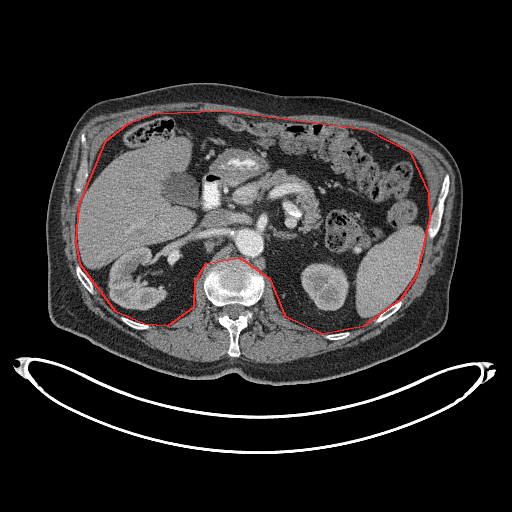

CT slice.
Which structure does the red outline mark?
red: abdominal cavity.
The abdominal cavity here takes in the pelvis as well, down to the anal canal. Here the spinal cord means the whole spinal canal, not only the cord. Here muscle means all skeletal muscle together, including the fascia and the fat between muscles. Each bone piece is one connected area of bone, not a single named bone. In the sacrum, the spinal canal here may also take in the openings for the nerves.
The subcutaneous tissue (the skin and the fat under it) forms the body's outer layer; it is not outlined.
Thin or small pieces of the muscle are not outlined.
{"abdominal_cavity":[[[322,333],[364,325],[401,298],[417,274],[430,218],[429,193],[411,153],[367,130],[223,111],[154,114],[127,124],[104,142],[78,205],[75,241],[79,263],[114,310],[144,323],[168,325],[194,306],[195,280],[206,263],[239,257],[269,278],[284,315]]],"spinal_cord":[[[231,318],[236,318],[239,315],[241,314],[243,314],[245,310],[245,307],[239,304],[230,304],[229,305],[226,305],[224,306],[222,308],[222,313],[223,314],[226,314],[228,315]]],"bones":[{"outer":[[233,357],[239,356],[238,336],[239,333],[247,326],[248,321],[252,317],[251,307],[260,299],[263,293],[264,279],[249,262],[239,258],[226,258],[210,267],[205,276],[203,288],[206,297],[217,308],[216,318],[218,322],[229,332],[230,344],[227,353]],"hole":[[231,318],[236,318],[239,315],[241,314],[243,314],[245,310],[245,307],[239,304],[230,304],[229,305],[226,305],[224,306],[222,308],[222,313],[223,314],[226,314],[228,315]]},[[431,239],[437,234],[441,225],[441,218],[443,213],[443,204],[449,189],[449,176],[448,174],[446,174],[444,176],[442,185],[441,186],[441,189],[440,190],[440,193],[437,200],[437,203],[434,208],[434,211],[428,224],[427,233],[428,234],[428,237]],[[76,193],[81,193],[82,192],[85,181],[87,179],[87,177],[88,176],[88,170],[87,169],[87,157],[86,156],[86,138],[84,133],[82,133],[81,135],[82,154],[81,155],[80,168],[76,173],[76,177],[75,178],[74,184],[73,185],[74,191]],[[91,294],[94,294],[94,288],[93,287],[93,284],[91,282],[90,279],[83,271],[83,270],[81,268],[80,265],[78,263],[77,263],[75,265],[75,271],[76,272],[76,274],[77,275],[77,277],[79,279],[80,282],[83,285],[83,286]],[[376,324],[377,323],[379,323],[381,321],[389,317],[392,314],[397,311],[397,310],[401,306],[403,302],[402,301],[402,299],[398,300],[395,303],[392,304],[390,306],[386,308],[383,311],[382,311],[382,312],[375,319],[374,321],[374,322]],[[137,330],[142,330],[143,329],[148,329],[150,327],[149,325],[147,324],[144,324],[143,323],[141,323],[140,322],[138,322],[134,320],[132,320],[125,316],[121,316],[120,317],[120,319],[127,325]],[[329,340],[338,340],[339,339],[342,339],[343,338],[344,338],[345,337],[346,337],[347,336],[348,336],[350,334],[350,332],[349,331],[344,331],[343,332],[338,332],[337,333],[332,333],[331,334],[325,334],[324,335],[324,337],[325,338],[326,338]]],"torso":[[[271,385],[312,383],[351,374],[411,350],[444,328],[463,207],[462,179],[453,156],[437,139],[401,118],[331,96],[279,95],[225,83],[189,82],[93,104],[70,133],[48,199],[45,229],[50,320],[111,353],[166,374],[215,379],[237,373],[248,381]]],"muscle":[[[267,364],[289,362],[356,345],[379,334],[421,297],[440,264],[450,227],[455,182],[448,161],[432,146],[407,134],[373,122],[331,115],[277,115],[196,101],[146,105],[92,117],[75,140],[61,202],[61,232],[69,269],[90,310],[146,345],[190,361],[208,362],[229,356],[226,353],[228,332],[217,322],[216,308],[205,297],[202,288],[208,264],[196,280],[195,306],[190,313],[168,326],[150,325],[148,330],[142,331],[122,322],[119,319],[121,315],[104,301],[94,286],[95,294],[91,295],[76,277],[74,265],[78,260],[74,222],[81,194],[76,194],[72,185],[79,168],[82,132],[87,138],[89,172],[96,152],[112,133],[131,121],[162,111],[223,110],[367,129],[386,136],[418,159],[428,180],[430,216],[443,176],[449,174],[450,189],[444,204],[441,228],[432,240],[427,239],[422,265],[402,298],[402,306],[379,324],[376,325],[374,319],[351,330],[351,334],[342,340],[329,341],[323,337],[324,334],[284,316],[277,307],[270,282],[264,276],[264,293],[252,307],[253,317],[239,336],[239,357]]]}